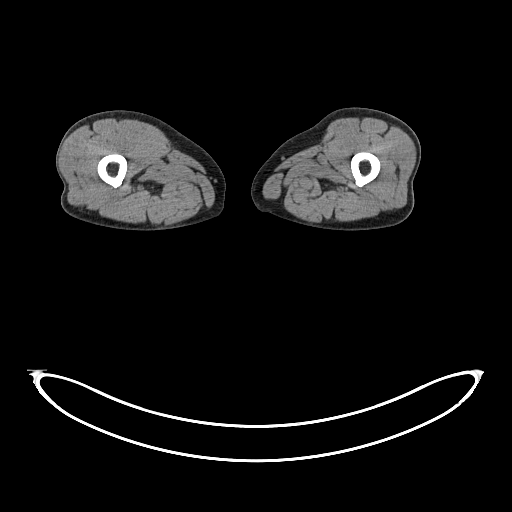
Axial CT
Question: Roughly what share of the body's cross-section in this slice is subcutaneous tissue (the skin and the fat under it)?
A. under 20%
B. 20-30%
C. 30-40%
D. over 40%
Answer: B. 20-30%
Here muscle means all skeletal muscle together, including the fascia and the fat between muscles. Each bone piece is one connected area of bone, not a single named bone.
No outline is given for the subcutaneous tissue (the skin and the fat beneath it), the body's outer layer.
The right leg is outlined by [[113,109],[134,110],[157,117],[205,149],[216,161],[225,178],[225,200],[221,213],[216,217],[196,224],[155,231],[135,231],[104,227],[68,215],[60,204],[60,195],[63,189],[63,184],[55,167],[55,155],[59,142],[66,130],[77,120],[96,112]]. The muscle appears in 2 outlined pieces: piece 1: [[103,118],[129,118],[150,123],[159,128],[176,149],[191,156],[205,169],[215,174],[217,193],[211,210],[209,212],[189,217],[177,224],[150,226],[108,221],[71,208],[67,200],[68,183],[59,168],[59,154],[61,148],[66,138],[74,130],[88,122]], around a hole outlined by [[110,153],[119,153],[123,155],[125,157],[127,161],[127,170],[126,171],[125,176],[121,184],[118,187],[113,187],[111,185],[106,183],[100,178],[97,172],[97,164],[98,163],[98,161],[103,156],[107,154],[109,154]]; piece 2: [[341,117],[373,117],[390,121],[398,124],[398,126],[413,141],[416,155],[413,168],[407,181],[407,202],[403,211],[367,219],[335,223],[321,223],[311,222],[297,217],[263,198],[262,188],[267,173],[274,169],[285,158],[311,144],[326,130],[330,122]]; inner edge: [[359,151],[368,151],[374,154],[376,156],[377,156],[380,162],[380,169],[376,177],[371,181],[368,182],[366,184],[360,187],[359,186],[357,186],[355,184],[355,180],[352,175],[352,173],[351,172],[351,168],[350,167],[350,160],[352,156],[355,153]]. The left leg is outlined by [[351,106],[373,108],[390,113],[403,120],[416,133],[421,145],[421,160],[413,181],[415,201],[409,216],[401,223],[390,227],[369,230],[343,231],[306,226],[258,210],[251,198],[251,183],[258,169],[274,150],[288,138],[311,127],[331,111],[338,108]]. The bones appear in 2 outlined pieces: piece 1: [[359,151],[368,151],[374,154],[376,156],[377,156],[380,162],[380,169],[376,177],[371,181],[368,182],[366,184],[360,187],[359,186],[357,186],[355,184],[355,180],[352,175],[352,173],[351,172],[351,168],[350,167],[350,160],[352,156],[355,153]]; piece 2: [[110,153],[119,153],[123,155],[125,157],[127,161],[127,170],[126,171],[125,176],[121,184],[118,187],[113,187],[111,185],[106,183],[100,178],[97,172],[97,164],[98,163],[98,161],[103,156],[107,154],[109,154]].